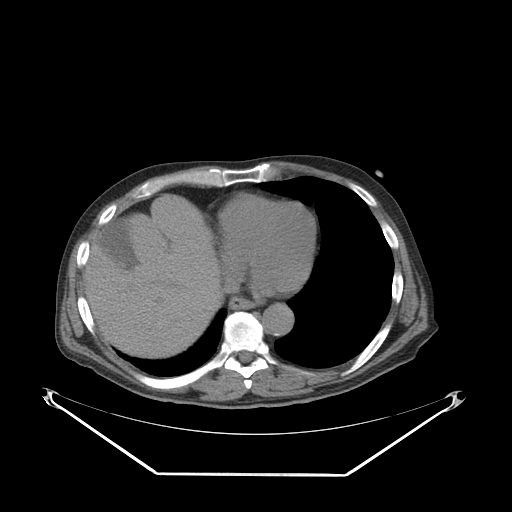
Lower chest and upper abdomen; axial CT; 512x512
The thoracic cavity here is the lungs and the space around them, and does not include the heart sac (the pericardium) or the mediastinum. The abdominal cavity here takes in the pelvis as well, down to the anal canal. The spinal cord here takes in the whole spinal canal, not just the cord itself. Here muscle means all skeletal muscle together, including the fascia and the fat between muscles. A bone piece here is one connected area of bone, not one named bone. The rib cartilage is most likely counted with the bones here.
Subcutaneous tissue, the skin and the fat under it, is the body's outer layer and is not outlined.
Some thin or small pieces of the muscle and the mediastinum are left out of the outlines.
Outlined structures:
bones 1: 237,311 251,313 259,321 263,340 280,362 312,372 312,375 270,364 249,377 251,386 247,388 240,373 221,366 186,385 167,389 148,386 133,375 136,372 157,378 174,377 200,367 218,351 223,340 224,320, around a hole outlined by 242,350 246,350 247,351 249,351 250,352 253,353 253,354 254,355 254,357 253,358 253,359 249,363 248,363 247,364 244,364 243,363 240,362 236,356 236,354 239,351 241,351
bones 2: 263,162 269,162 279,170 279,173 271,180 261,182 250,181 236,182 225,186 212,185 208,186 190,183 172,184 148,197 138,199 132,196 132,194 142,184 160,177 189,171 207,170 210,168 245,169 251,168
bones 3: 388,323 391,323 391,327 390,328 390,330 381,345 373,354 373,355 367,361 366,361 355,370 345,375 341,375 340,374 343,371 347,369 353,363 356,357 368,345 368,344 373,339 379,330 383,326
bones 4: 79,296 83,296 85,298 87,302 87,304 89,307 89,310 91,313 91,315 92,316 92,318 94,322 94,332 95,333 94,335 93,335 86,327 80,315 80,313 78,309 78,306 77,305 77,299
bones 5: 395,269 401,272 402,274 402,277 403,278 403,288 402,289 402,292 401,293 401,297 398,303 396,303 393,300 392,300 392,297 391,296 392,295 392,281 393,280 393,274 394,273 394,270
bones 6: 347,182 352,182 357,185 361,186 364,189 365,189 370,194 372,195 372,196 375,199 377,203 377,205 376,206 370,206 368,205 366,203 366,202 359,195 358,195 354,191 353,191 347,186 346,186 346,183
bones 7: 382,220 385,221 391,227 391,228 393,230 397,238 397,241 398,242 398,246 397,248 395,249 394,248 391,248 390,247 390,246 388,244 385,238 385,236 382,231 381,226 379,223 379,222
bones 8: 84,240 86,240 89,243 89,255 88,256 88,258 87,259 87,261 86,263 83,266 81,267 78,267 77,265 77,259 76,258 77,257 77,251 78,250 78,248 79,247 79,245 80,243
bones 9: 113,203 116,204 116,210 115,211 115,213 113,215 113,216 111,218 111,219 107,223 106,223 103,225 99,225 98,224 98,221 99,220 99,218 100,217 102,212 108,206 109,206 111,204 112,204
mediastinum 1: 228,295 248,296 284,302 287,301 287,304 292,310 294,316 294,323 292,329 287,334 277,339 273,343 273,347 270,347 263,338 264,330 262,324 251,312 237,310 227,315 224,304 226,303 226,298 228,297
mediastinum 2: 244,182 259,183 258,185 262,189 234,189 230,190 214,199 201,210 192,200 185,196 173,191 164,191 163,190 168,187 182,184 190,184 191,185 207,186 208,187 212,186 213,187 225,187 236,183 243,183
abdominal cavity 1: 161,190 181,195 200,209 216,245 223,287 227,297 223,307 215,314 205,331 185,351 164,359 144,359 113,349 102,337 95,326 90,307 84,296 83,274 84,266 90,255 90,245 102,227 112,219 116,212
abdominal cavity 2: 336,254 339,254 339,255 341,256 344,260 345,260 346,263 349,266 349,275 350,276 350,278 349,279 349,284 345,290 343,290 342,289 342,287 338,283 338,277 336,274 336,263 334,261 334,256 335,256
thoracic cavity 1: 297,176 313,176 335,182 359,196 377,220 394,263 390,306 380,328 355,358 330,367 297,365 275,356 270,348 294,327 295,316 288,301 311,275 320,250 321,231 313,204 307,205 299,199 265,190 259,184, around a hole outlined by 336,254 339,254 339,255 341,256 344,260 345,260 346,263 349,266 349,275 350,276 350,278 349,279 349,284 345,290 343,290 342,289 342,287 338,283 338,277 336,274 336,263 334,261 334,256 335,256
thoracic cavity 2: 222,308 225,309 226,316 223,320 222,325 222,340 219,344 217,351 203,364 188,372 179,375 164,377 148,375 124,360 114,350 117,350 130,357 144,360 164,360 172,358 185,352 191,347 206,331 216,314
pericardium: 234,190 264,190 271,193 299,200 303,204 309,206 315,213 318,225 317,255 315,257 309,277 305,283 294,295 285,301 261,297 254,297 248,295 227,294 226,293 223,281 222,266 217,245 202,210 214,200
spinal cord: 242,350 246,350 247,351 249,351 250,352 253,353 253,354 254,355 254,357 253,358 253,359 249,363 248,363 247,364 244,364 243,363 240,362 236,356 236,354 239,351 241,351
torso: 284,154 322,155 351,163 379,181 400,206 431,281 434,317 439,326 415,358 337,395 278,407 220,409 164,402 138,395 66,358 59,351 54,338 54,313 60,260 73,226 96,197 123,177 153,164 243,160
muscle 1: 206,165 224,168 189,170 145,181 131,194 134,199 143,199 117,212 117,204 111,203 98,218 97,224 102,226 91,244 84,239 76,251 76,265 78,268 83,267 83,295 76,299 79,315 93,336 96,333 95,327 120,358 145,374 133,371 131,373 138,381 154,389 167,390 186,386 210,371 223,367 240,374 244,386 249,389 252,386 250,377 256,371 268,369 270,365 307,376 314,374 312,371 284,363 278,358 310,369 330,368 354,359 339,374 341,376 362,366 388,336 392,323 382,324 391,302 400,302 404,288 403,274 395,268 392,253 392,249 399,246 398,238 392,227 383,219 378,221 372,212 370,207 378,205 373,195 401,233 421,278 427,299 428,327 382,361 349,379 298,395 264,397 247,392 238,398 224,401 201,399 193,393 150,390 82,354 69,350 61,339 59,328 64,276 72,249 89,223 106,204 151,177
muscle 2: 269,161 287,161 288,162 308,165 321,170 335,173 346,178 349,178 359,184 357,184 352,181 347,181 345,183 345,185 343,185 335,181 324,179 313,175 297,175 283,179 274,179 280,173 280,170